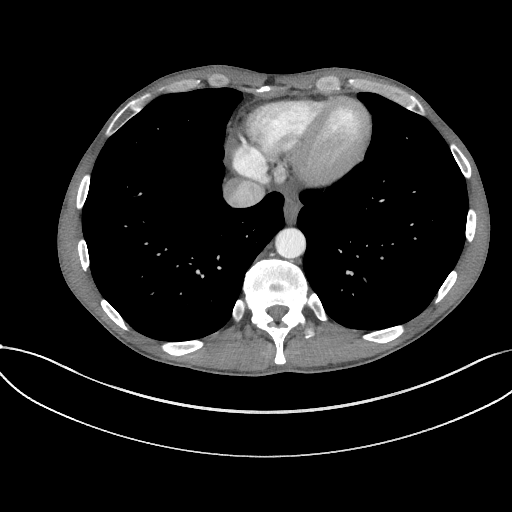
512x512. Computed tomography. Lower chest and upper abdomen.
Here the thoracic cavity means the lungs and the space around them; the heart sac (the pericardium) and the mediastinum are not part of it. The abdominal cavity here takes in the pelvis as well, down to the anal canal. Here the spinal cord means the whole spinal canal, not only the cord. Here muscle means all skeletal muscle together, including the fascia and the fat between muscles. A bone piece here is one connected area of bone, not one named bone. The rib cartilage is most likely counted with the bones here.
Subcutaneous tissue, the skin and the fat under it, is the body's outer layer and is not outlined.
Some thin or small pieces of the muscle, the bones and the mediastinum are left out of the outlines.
{"spinal_cord":[[[276,321],[278,321],[280,319],[280,318],[286,312],[286,311],[287,310],[287,307],[286,307],[285,306],[281,306],[280,305],[275,305],[274,306],[272,306],[271,307],[269,307],[267,309],[267,311],[268,312],[268,313]]],"abdominal_cavity":[[[260,97],[279,97],[280,96],[283,96],[284,95],[303,95],[304,94],[306,94],[304,93],[302,93],[299,91],[283,91],[282,92],[275,92],[274,91],[270,91],[267,93],[260,93],[259,94],[257,93],[257,94],[255,95],[257,96],[259,96]]],"thoracic_cavity":[[[161,340],[200,339],[224,325],[241,295],[245,271],[283,225],[282,196],[278,193],[270,193],[256,205],[242,209],[232,208],[222,197],[225,126],[241,99],[240,91],[231,87],[169,93],[152,100],[107,140],[91,175],[82,225],[94,280],[133,328]],[[365,331],[403,323],[427,306],[462,249],[468,208],[465,179],[435,128],[424,117],[370,92],[358,95],[372,114],[373,121],[364,159],[332,185],[302,192],[300,199],[304,206],[298,216],[298,226],[307,239],[304,272],[311,289],[319,295],[329,317]]],"muscle":[[[239,371],[281,365],[273,362],[275,347],[270,336],[250,323],[248,311],[239,322],[231,319],[202,338],[204,345],[200,349],[172,356],[160,348],[163,341],[145,336],[129,325],[127,331],[122,330],[102,310],[99,304],[102,295],[90,269],[84,272],[79,263],[76,244],[83,232],[75,197],[81,177],[87,172],[91,174],[108,138],[104,131],[78,170],[62,217],[61,255],[72,286],[102,320],[139,348],[188,365]],[[303,367],[355,360],[373,355],[400,343],[422,329],[451,305],[463,293],[477,271],[486,239],[486,213],[479,182],[473,165],[459,141],[420,100],[426,111],[424,116],[436,128],[448,145],[452,141],[463,151],[472,167],[472,176],[466,180],[466,184],[468,205],[469,207],[473,207],[477,213],[476,233],[470,243],[465,240],[463,249],[454,267],[458,272],[456,282],[440,302],[434,304],[432,300],[418,315],[404,323],[405,331],[399,337],[385,344],[366,341],[361,337],[366,332],[345,327],[330,318],[326,322],[322,322],[306,308],[304,311],[308,320],[314,325],[316,334],[312,338],[306,339],[303,327],[299,325],[288,333],[284,341],[284,353],[287,360],[284,365]],[[152,99],[161,94],[168,93],[159,90],[159,88],[163,85],[184,78],[199,78],[201,80],[201,83],[195,88],[211,87],[207,84],[206,79],[212,73],[222,73],[227,76],[230,81],[227,86],[235,87],[254,94],[256,93],[253,90],[256,87],[265,83],[270,84],[273,87],[271,90],[275,91],[299,90],[307,94],[318,93],[319,92],[314,86],[315,81],[320,76],[329,74],[336,75],[340,78],[342,83],[341,91],[355,91],[347,86],[346,80],[350,77],[358,77],[395,85],[411,93],[386,80],[353,71],[329,70],[320,71],[313,74],[272,79],[255,76],[236,70],[228,70],[223,68],[207,68],[179,74],[158,82],[135,97],[148,91],[152,94]]],"bones":[{"outer":[[276,364],[286,361],[283,341],[293,327],[303,326],[306,338],[315,334],[303,311],[306,307],[322,321],[328,316],[302,270],[291,262],[270,258],[255,262],[246,271],[242,295],[235,301],[231,317],[237,322],[247,310],[250,312],[251,323],[274,341]],"hole":[[276,321],[278,321],[280,319],[280,318],[286,312],[286,311],[287,310],[287,307],[286,307],[285,306],[281,306],[280,305],[275,305],[274,306],[272,306],[271,307],[269,307],[267,309],[267,311],[268,312],[268,313]]},[[423,116],[425,111],[423,106],[417,98],[415,96],[409,94],[395,86],[381,84],[376,82],[372,82],[369,80],[359,79],[358,78],[350,78],[347,80],[348,86],[353,89],[355,89],[356,91],[370,91],[378,93],[398,103],[408,110]],[[107,137],[109,137],[131,117],[134,116],[138,112],[139,112],[143,108],[147,102],[151,99],[152,97],[151,94],[147,92],[141,95],[139,97],[137,97],[129,101],[114,116],[106,128],[105,130],[105,134]],[[172,355],[182,355],[183,354],[185,354],[186,353],[188,353],[189,352],[194,351],[195,350],[200,348],[203,345],[203,342],[199,339],[192,339],[191,340],[186,340],[185,341],[164,341],[161,344],[161,348],[165,352],[166,352],[169,354],[171,354]],[[378,343],[385,343],[399,336],[404,331],[404,325],[403,324],[398,324],[397,325],[394,325],[387,328],[384,328],[383,329],[380,329],[379,330],[370,331],[363,334],[362,335],[362,337],[364,339],[366,340],[369,340],[370,341],[374,341]],[[466,179],[468,179],[471,176],[471,167],[470,166],[470,164],[469,163],[467,158],[462,152],[462,151],[454,143],[453,143],[452,142],[449,144],[449,148],[450,149],[450,150],[451,151],[451,153],[452,154],[455,161],[457,163],[462,174]],[[321,93],[331,93],[334,91],[340,91],[341,90],[341,83],[340,82],[340,80],[339,78],[333,75],[329,75],[328,76],[323,76],[322,77],[320,77],[316,81],[315,83],[315,86],[318,90],[318,91],[319,91]],[[165,92],[177,92],[178,91],[186,91],[187,90],[191,90],[193,88],[197,86],[200,83],[200,80],[199,79],[184,79],[183,80],[180,80],[179,81],[174,82],[168,85],[165,85],[161,88],[160,88],[160,90],[162,90]],[[124,330],[127,330],[129,327],[128,326],[127,323],[123,319],[123,318],[120,315],[120,314],[114,308],[114,307],[105,298],[102,297],[100,299],[100,304],[101,305],[103,310],[107,314],[107,315],[117,325],[118,325],[122,329],[123,329]],[[434,303],[437,303],[439,301],[440,301],[448,292],[450,288],[455,282],[455,280],[457,277],[457,272],[454,268],[452,269],[449,272],[449,273],[445,278],[444,281],[438,289],[438,291],[435,297],[433,299],[433,302]],[[80,210],[82,209],[82,207],[86,199],[86,197],[87,196],[87,193],[89,189],[89,184],[90,183],[90,174],[88,173],[85,174],[82,177],[80,181],[79,186],[78,187],[78,190],[77,191],[77,196],[76,197],[76,207]],[[469,242],[470,242],[473,239],[473,238],[474,237],[474,234],[475,233],[475,226],[476,225],[476,213],[475,212],[474,209],[471,207],[470,207],[468,209],[468,210],[467,211],[467,215],[466,216],[466,223],[465,224],[465,239],[467,241],[468,241]],[[84,271],[86,271],[89,268],[89,255],[88,254],[88,250],[87,249],[87,245],[86,244],[86,242],[84,238],[82,237],[80,238],[78,241],[78,243],[77,244],[77,249],[78,250],[78,254],[80,259],[80,263],[81,264],[82,269]],[[212,87],[220,87],[221,86],[226,86],[226,85],[228,83],[228,82],[229,81],[228,80],[227,77],[226,77],[224,75],[223,75],[222,74],[212,74],[210,76],[209,76],[207,79],[207,82],[208,83],[208,84],[210,86],[211,86]]],"pericardium":[[[304,190],[324,188],[332,184],[363,159],[371,136],[372,121],[371,114],[357,97],[338,92],[331,94],[284,96],[279,98],[258,98],[241,107],[236,112],[229,125],[226,138],[225,156],[223,159],[225,167],[233,173],[248,177],[262,183],[278,187]]],"torso":[[[245,378],[283,372],[323,374],[375,363],[433,328],[477,281],[487,257],[491,227],[478,167],[461,138],[406,84],[342,66],[289,73],[220,63],[184,68],[160,76],[128,96],[80,158],[66,188],[56,235],[59,267],[74,296],[104,328],[146,361]]],"mediastinum":[[[303,271],[306,239],[297,226],[297,216],[303,206],[299,195],[303,190],[262,184],[233,174],[225,168],[222,183],[223,197],[232,207],[242,208],[254,205],[266,194],[273,191],[283,196],[284,225],[274,234],[253,263],[262,258],[276,257],[293,262]],[[225,142],[225,138],[227,133],[228,125],[230,123],[235,112],[241,106],[244,105],[249,101],[259,97],[257,97],[253,94],[250,94],[241,90],[239,90],[240,90],[242,93],[242,99],[234,109],[227,123],[227,125],[226,126],[226,132],[225,133]]]}